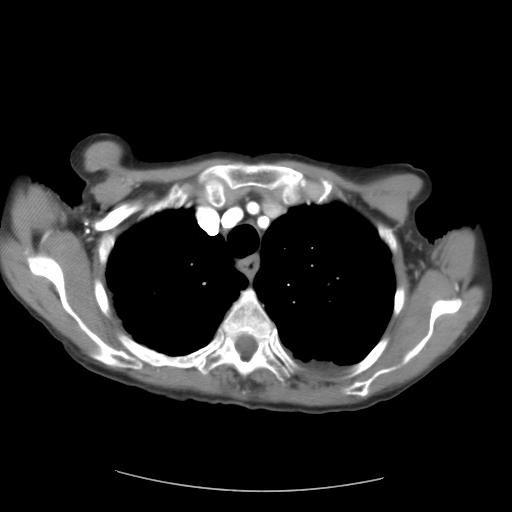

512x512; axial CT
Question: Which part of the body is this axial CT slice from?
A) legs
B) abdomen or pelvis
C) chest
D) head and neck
Answer: C) chest
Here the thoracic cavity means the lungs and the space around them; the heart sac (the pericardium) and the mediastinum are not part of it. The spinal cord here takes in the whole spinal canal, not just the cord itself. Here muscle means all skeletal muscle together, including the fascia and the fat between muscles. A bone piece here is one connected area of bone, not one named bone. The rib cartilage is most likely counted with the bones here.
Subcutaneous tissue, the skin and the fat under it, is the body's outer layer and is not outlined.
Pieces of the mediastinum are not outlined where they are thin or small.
Outlined structures:
left arm: 478,218 479,218 483,223 485,232 486,233 486,236 487,237 487,243 489,249 489,256 490,257 491,268 493,274 493,296 490,295 474,279 466,265 454,257 435,238 443,234 448,229 458,226 463,223 473,224
thoracic cavity 1: 332,201 339,201 353,209 376,229 379,238 391,254 395,290 391,315 381,337 363,358 345,366 317,367 296,360 285,349 275,323 253,288 253,281 260,268 263,238 270,226 292,207 303,204 325,205
thoracic cavity 2: 191,207 200,228 211,236 220,235 222,237 234,267 245,276 248,284 239,291 237,298 226,311 213,337 205,345 186,354 168,355 136,341 125,329 113,305 111,292 107,286 106,269 116,239 132,226 164,210
bones 1: 34,254 58,263 67,301 85,325 127,353 117,332 168,356 205,346 240,291 251,287 299,369 281,381 267,368 243,376 229,364 204,374 144,361 139,369 108,365 89,355 98,346 55,286 31,272 26,258 with a hole at 242,335 247,335 248,336 250,336 254,340 256,344 256,348 255,350 248,359 244,359 242,358 241,356 241,354 237,350 236,348 236,346 235,345 236,343 236,341 238,339 238,338
bones 2: 237,162 277,164 295,169 310,180 329,180 333,185 330,202 307,204 302,201 288,205 277,188 226,187 225,201 221,205 199,200 194,194 188,208 168,208 140,218 143,210 162,198 173,184 195,184 204,169
bones 3: 457,297 462,302 459,309 454,313 442,314 436,318 430,337 416,355 405,364 378,375 370,383 366,395 346,394 344,392 344,389 355,381 366,380 381,369 399,365 405,354 426,335 434,302 439,299
bones 4: 383,336 387,336 389,340 385,349 382,352 382,353 376,360 376,361 368,368 360,372 358,374 354,376 352,376 351,377 347,377 346,376 350,372 349,367 351,365 355,364 359,362 362,359 363,359
bones 5: 96,278 98,278 102,282 105,288 106,293 108,296 108,299 110,302 110,305 111,306 111,311 110,312 110,315 108,317 106,316 100,309 97,303 97,301 96,300 96,298 94,294 94,280
bones 6: 378,222 382,222 384,224 391,227 393,230 393,232 395,235 395,237 396,238 396,241 397,242 397,248 396,249 396,252 395,254 393,255 391,253 387,245 380,238 378,234 378,232 376,228 376,226
bones 7: 109,234 111,234 115,238 115,242 114,243 114,245 108,256 108,259 107,260 106,265 105,266 103,266 100,263 100,261 99,260 99,254 98,253 98,246 100,243 100,241 101,240 101,239 104,236 106,236
bones 8: 399,285 403,285 404,286 404,287 405,288 405,297 404,298 404,302 403,303 403,305 402,306 399,313 396,316 395,316 394,317 392,315 392,312 393,311 393,302 394,301 394,295 395,294 396,287
torso: 95,132 122,135 148,161 215,150 285,151 422,168 433,189 416,210 417,226 465,265 492,297 490,307 443,363 396,397 357,411 307,414 180,402 92,373 4,285 28,267 65,201 80,200 84,182 69,153
right arm: 18,166 25,166 30,171 31,175 34,178 38,178 53,188 64,200 64,202 62,205 61,210 47,236 33,256 27,267 16,278 4,284 0,279 0,226 3,215 4,204 10,185 10,182 12,179 13,174
muscle: 101,140 112,140 121,144 124,149 122,163 128,167 139,169 169,167 210,158 232,158 245,161 271,161 279,159 289,159 326,167 357,180 365,180 372,177 392,173 408,172 415,174 423,180 424,185 415,198 409,202 409,213 407,219 405,224 399,230 400,242 408,269 418,274 424,268 425,264 428,266 430,264 429,258 433,248 448,235 465,230 473,232 477,238 477,261 472,281 485,287 485,297 482,307 465,330 465,333 456,340 453,346 420,374 391,390 375,394 365,400 350,404 306,406 284,402 241,400 229,396 211,395 192,390 178,390 159,387 134,379 122,372 98,365 80,355 76,351 75,346 33,309 13,288 3,268 0,265 0,233 2,234 11,230 9,209 15,188 20,183 32,184 42,187 50,192 65,208 71,210 78,211 84,205 89,203 93,204 93,197 89,192 92,184 93,174 83,169 82,153 87,146, around holes outlined by 237,162 329,180 333,201 374,228 392,228 395,286 404,286 405,297 381,335 389,339 385,349 365,370 347,377 349,365 297,360 299,369 281,381 267,368 243,376 229,364 204,374 144,361 139,369 108,365 89,355 98,346 55,286 31,272 28,255 54,259 73,311 128,353 117,332 132,336 113,305 101,239 140,222 173,184 195,184 204,169 and by 457,297 462,302 459,309 454,313 442,314 436,318 430,337 416,355 405,364 378,375 370,383 366,395 346,394 344,392 344,389 355,381 366,380 381,369 399,365 405,354 426,335 434,302 439,299 and by 96,278 98,278 102,282 105,288 106,293 108,296 108,299 110,302 110,305 111,306 111,311 110,312 110,315 108,317 106,316 100,309 97,303 97,301 96,300 96,298 94,294 94,280
spinal cord: 242,335 247,335 248,336 250,336 254,340 256,344 256,348 255,350 248,359 244,359 242,358 241,356 241,354 237,350 236,348 236,346 235,345 236,343 236,341 238,339 238,338
mediastinum: 243,187 270,191 277,189 280,199 288,206 305,203 292,206 266,230 252,287 248,286 246,276 235,267 223,237 220,234 211,235 200,227 192,207 194,195 198,196 199,201 221,206 226,201 226,188 236,190